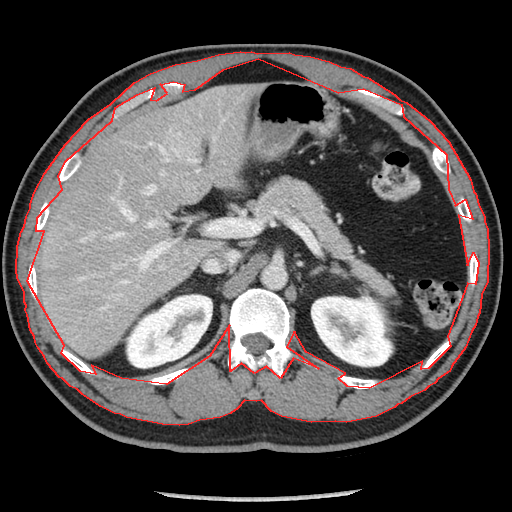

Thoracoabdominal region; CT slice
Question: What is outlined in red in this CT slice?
Answer: red: muscle.
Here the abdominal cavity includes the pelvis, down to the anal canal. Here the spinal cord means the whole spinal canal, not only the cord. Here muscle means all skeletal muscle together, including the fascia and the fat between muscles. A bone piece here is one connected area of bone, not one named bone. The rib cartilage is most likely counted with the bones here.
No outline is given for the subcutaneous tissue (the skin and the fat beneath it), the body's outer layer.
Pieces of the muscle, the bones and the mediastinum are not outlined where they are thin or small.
{"muscle":[{"outer":[[240,51],[245,52],[251,51],[257,53],[289,52],[294,54],[310,56],[329,61],[340,66],[350,68],[363,76],[367,77],[394,94],[399,99],[406,102],[429,120],[448,141],[470,179],[473,191],[475,193],[478,204],[484,217],[484,221],[487,229],[488,248],[487,281],[481,294],[479,313],[477,316],[475,325],[471,331],[465,347],[451,366],[449,371],[438,378],[434,383],[428,386],[424,390],[409,397],[401,403],[397,404],[394,407],[376,416],[346,422],[335,421],[311,422],[281,416],[271,411],[261,400],[256,401],[244,400],[237,408],[230,413],[220,417],[199,420],[188,424],[179,425],[162,424],[126,417],[120,414],[114,413],[100,406],[82,394],[77,389],[70,386],[62,378],[59,377],[47,363],[44,356],[38,348],[35,342],[34,336],[30,330],[27,314],[25,310],[26,305],[24,302],[24,292],[17,277],[16,270],[17,246],[21,231],[24,226],[26,216],[30,208],[30,204],[34,192],[45,172],[65,144],[88,119],[111,103],[134,82],[150,73],[175,64],[197,60],[218,54]],"hole":[[258,58],[338,92],[363,88],[401,104],[403,116],[446,154],[448,189],[455,205],[465,199],[472,219],[458,215],[467,265],[473,252],[478,263],[475,284],[467,283],[447,336],[450,346],[428,368],[421,369],[422,361],[369,388],[347,386],[338,378],[345,373],[306,352],[294,331],[286,346],[318,368],[293,358],[280,378],[266,366],[254,373],[241,363],[230,371],[229,325],[209,356],[166,384],[121,378],[91,365],[95,374],[80,371],[61,353],[64,345],[27,281],[44,231],[36,231],[37,217],[62,189],[58,176],[65,161],[112,120],[115,107],[137,94],[154,87],[150,99],[156,100],[167,93],[160,84],[173,81],[184,84],[182,91],[195,89],[223,69]]}],"bones":[{"outer":[[254,287],[274,292],[283,299],[289,311],[290,326],[286,346],[294,354],[307,359],[318,368],[293,358],[284,365],[280,378],[266,366],[260,367],[254,373],[244,363],[232,371],[229,370],[226,360],[229,346],[234,339],[228,322],[230,308],[240,294]],"hole":[[258,332],[263,334],[268,339],[269,339],[269,340],[271,342],[271,346],[267,349],[266,349],[262,353],[260,353],[259,354],[254,354],[250,352],[248,350],[247,347],[245,346],[242,343],[242,338],[245,335],[247,334],[254,334]]},[[354,88],[363,88],[364,89],[367,89],[373,91],[382,96],[389,98],[401,104],[405,108],[405,112],[402,116],[394,115],[388,111],[386,111],[385,109],[374,105],[373,103],[371,103],[366,99],[365,97],[356,95],[355,93],[351,92],[350,90]],[[151,87],[154,87],[157,89],[157,92],[153,97],[150,99],[148,99],[140,103],[135,107],[130,109],[115,119],[112,119],[110,117],[110,113],[111,111],[119,104],[126,101],[128,99],[135,96],[137,94],[141,93],[147,90]],[[74,152],[78,152],[80,153],[81,155],[81,163],[79,167],[76,170],[76,171],[66,180],[62,182],[60,182],[58,181],[58,176],[59,175],[59,173],[65,161],[67,159],[67,158],[72,153]],[[340,374],[344,374],[348,376],[353,376],[354,377],[358,377],[359,378],[363,378],[364,379],[378,379],[378,382],[377,384],[374,387],[370,387],[369,388],[352,388],[351,387],[349,387],[347,386],[340,379],[338,378],[338,375]],[[435,146],[437,146],[441,148],[442,150],[446,154],[448,158],[448,160],[449,161],[449,164],[450,165],[450,168],[451,169],[451,173],[450,174],[445,174],[441,172],[434,165],[433,161],[432,160],[432,158],[431,157],[432,156],[432,149],[433,147]],[[185,367],[187,367],[188,368],[188,370],[180,377],[171,382],[169,382],[166,384],[162,384],[161,385],[154,385],[148,382],[148,380],[150,378],[156,377],[157,376],[160,376],[161,375],[163,375],[164,374],[166,374],[167,373],[169,373]],[[447,338],[449,338],[451,340],[451,344],[450,345],[450,346],[448,348],[448,349],[445,352],[445,353],[434,364],[433,364],[431,366],[430,366],[428,368],[427,368],[426,369],[421,369],[421,366],[424,363],[424,362],[426,360],[426,359]],[[61,348],[65,348],[67,350],[71,352],[74,355],[75,355],[78,358],[79,358],[82,361],[83,361],[86,364],[87,364],[89,366],[89,367],[94,371],[95,374],[93,375],[92,374],[88,374],[87,373],[82,372],[77,369],[63,356],[60,351]],[[30,263],[32,263],[34,265],[35,267],[35,271],[36,272],[36,280],[37,281],[37,296],[38,297],[36,300],[35,300],[32,297],[30,293],[30,291],[29,290],[29,287],[28,286],[28,282],[27,281],[27,274],[28,273],[28,268],[29,267]],[[473,252],[476,253],[476,254],[477,255],[477,262],[478,263],[478,268],[477,269],[477,275],[476,276],[476,281],[475,282],[475,284],[474,285],[474,286],[473,287],[472,287],[469,284],[469,283],[468,282],[468,266],[469,265],[470,256]],[[46,200],[49,203],[49,205],[50,206],[50,209],[49,210],[49,214],[47,217],[46,222],[45,223],[43,228],[39,232],[37,232],[36,231],[36,222],[37,221],[37,217],[38,216],[39,211],[40,210],[40,209],[41,208],[43,203]],[[460,196],[462,196],[465,199],[467,203],[467,205],[469,208],[469,210],[471,214],[471,218],[472,219],[471,220],[471,222],[469,223],[465,221],[461,217],[461,216],[459,214],[459,213],[456,209],[456,203],[457,202],[457,200],[458,198]]],"torso":[[[282,42],[348,50],[400,72],[431,96],[461,134],[485,175],[501,224],[503,273],[491,329],[467,373],[439,406],[407,430],[375,443],[312,453],[182,453],[110,438],[81,421],[54,395],[11,327],[2,250],[19,183],[78,100],[123,67],[187,46]]],"mediastinum":[[[387,112],[394,116],[397,116],[398,117],[402,117],[403,116],[405,118],[412,121],[412,122],[421,131],[422,131],[428,137],[432,139],[434,146],[433,146],[431,149],[431,153],[426,147],[425,144],[416,135],[414,134],[414,133],[408,126],[395,119]]],"spinal_cord":[[[258,332],[263,334],[268,339],[269,339],[269,340],[271,342],[271,346],[267,349],[266,349],[262,353],[260,353],[259,354],[254,354],[250,352],[248,350],[247,347],[245,346],[242,343],[242,338],[245,335],[247,334],[254,334]]],"abdominal_cavity":[[[258,58],[365,98],[424,144],[444,174],[463,236],[467,284],[455,323],[407,373],[364,378],[306,352],[290,331],[284,299],[254,286],[232,301],[211,354],[189,368],[133,380],[89,365],[52,331],[38,296],[36,266],[56,196],[90,138],[109,122]]]}